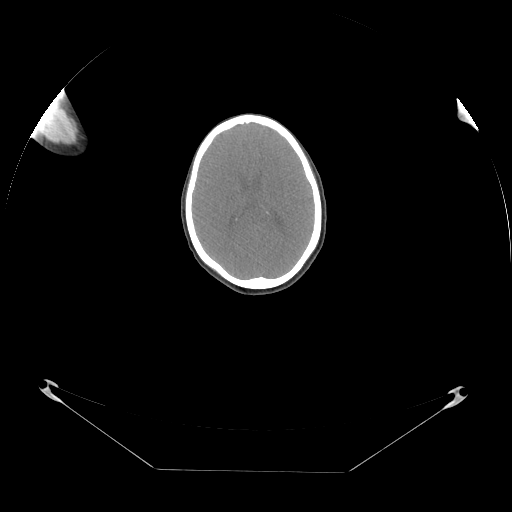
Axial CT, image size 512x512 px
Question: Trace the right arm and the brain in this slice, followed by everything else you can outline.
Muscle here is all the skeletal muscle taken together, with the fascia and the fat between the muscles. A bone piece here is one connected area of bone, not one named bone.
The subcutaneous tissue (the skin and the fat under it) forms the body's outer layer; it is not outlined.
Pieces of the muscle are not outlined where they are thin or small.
Answer: right arm: [[63,89],[63,91],[67,97],[67,99],[75,115],[77,117],[85,133],[85,136],[86,137],[85,148],[80,153],[75,155],[65,155],[56,151],[51,150],[49,148],[40,144],[35,138],[31,137],[31,134],[33,132],[33,130],[40,118],[51,102]]
brain: [[251,123],[273,130],[287,142],[300,162],[303,174],[311,191],[313,214],[308,240],[300,255],[289,269],[273,277],[258,275],[243,278],[228,271],[205,249],[197,233],[193,217],[193,194],[196,187],[199,168],[208,148],[215,138],[223,132],[238,125]]
muscle: [[52,101],[56,101],[60,105],[66,114],[73,120],[77,125],[77,133],[76,134],[76,137],[74,142],[72,144],[68,144],[66,145],[65,144],[61,144],[60,143],[53,142],[49,139],[44,131],[38,126],[38,123],[40,118],[46,109],[50,105]]
bones: [[244,113],[261,114],[273,118],[285,126],[295,136],[316,179],[322,205],[320,236],[310,256],[299,271],[290,279],[277,286],[261,289],[238,286],[222,277],[202,261],[191,242],[184,211],[185,193],[190,177],[192,161],[200,142],[216,124],[230,117]]; inner edge: [[251,123],[273,130],[287,142],[300,162],[303,174],[311,191],[313,214],[308,240],[300,255],[289,269],[273,277],[258,275],[243,278],[228,271],[205,249],[197,233],[193,217],[193,194],[196,187],[199,168],[208,148],[215,138],[223,132],[238,125]]
head: [[249,112],[265,114],[277,120],[299,139],[317,166],[323,182],[327,202],[325,240],[320,252],[309,269],[300,279],[288,288],[263,295],[246,295],[238,293],[220,283],[200,267],[187,246],[179,213],[180,193],[184,177],[191,158],[202,139],[223,119]]
left arm: [[458,108],[459,108],[460,110],[463,110],[464,108],[468,112],[468,114],[470,116],[470,118],[469,119],[468,117],[467,118],[467,122],[466,121],[461,121],[457,118],[456,116],[456,113],[457,112],[457,110]]